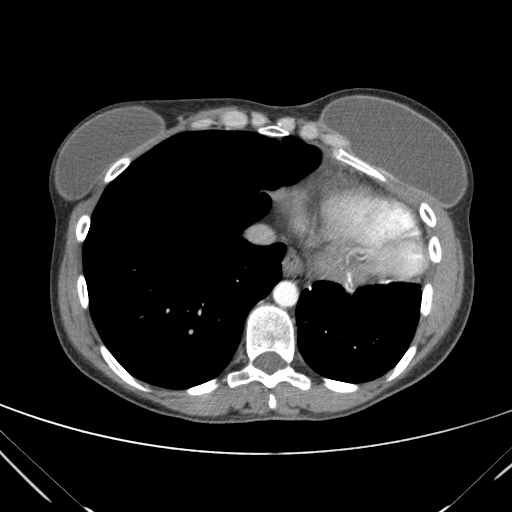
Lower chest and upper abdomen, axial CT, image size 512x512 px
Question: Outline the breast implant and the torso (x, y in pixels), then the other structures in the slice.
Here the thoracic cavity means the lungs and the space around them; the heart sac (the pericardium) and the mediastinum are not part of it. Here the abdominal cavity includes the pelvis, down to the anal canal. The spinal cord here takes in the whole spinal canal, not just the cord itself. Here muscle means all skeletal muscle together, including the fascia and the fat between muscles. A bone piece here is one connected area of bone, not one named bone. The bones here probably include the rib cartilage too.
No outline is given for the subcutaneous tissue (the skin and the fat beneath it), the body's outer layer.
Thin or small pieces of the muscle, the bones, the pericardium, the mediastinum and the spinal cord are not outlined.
Answer: Outlined structures:
breast implant 1: [[444,205],[453,205],[461,196],[464,187],[464,167],[462,161],[457,149],[444,133],[409,109],[395,102],[372,96],[341,97],[334,100],[325,107],[321,115],[322,124],[326,128],[347,141],[349,143],[349,148],[356,155],[386,172],[402,184],[425,193]]
breast implant 2: [[69,199],[78,198],[89,188],[92,183],[99,176],[120,157],[135,149],[159,133],[161,131],[161,127],[163,121],[157,115],[144,109],[142,107],[136,107],[135,108],[115,109],[87,122],[71,137],[65,145],[61,152],[56,166],[55,182],[60,193]]
torso: [[206,424],[346,417],[419,381],[451,352],[464,330],[474,295],[469,221],[474,176],[460,138],[428,106],[393,90],[363,86],[293,105],[237,97],[122,100],[86,115],[63,138],[48,172],[55,219],[49,303],[58,341],[79,371],[122,399],[154,413]]
mediastinum 1: [[295,325],[295,307],[301,291],[307,287],[307,279],[305,277],[306,260],[274,231],[260,223],[255,223],[246,228],[242,236],[256,244],[270,244],[280,241],[286,245],[287,250],[281,261],[281,279],[253,307],[261,303],[272,303],[284,309],[290,315]]
mediastinum 2: [[368,179],[373,179],[370,178],[365,174],[336,160],[331,155],[331,149],[332,148],[330,146],[320,142],[307,141],[302,139],[307,143],[314,144],[318,146],[323,152],[323,157],[322,159],[335,163],[338,165],[341,165],[349,169],[357,171]]
spinal cord: [[269,374],[274,372],[276,370],[280,368],[282,368],[284,366],[284,362],[283,360],[278,354],[274,352],[265,352],[259,355],[255,359],[254,361],[254,364],[255,366],[256,366],[258,368],[261,369],[263,371]]
abdominal cavity: [[309,288],[313,280],[324,279],[342,283],[345,275],[337,250],[327,242],[322,242],[314,233],[318,203],[344,187],[372,185],[359,173],[323,160],[306,178],[274,191],[261,191],[271,198],[273,206],[265,218],[257,222],[274,230],[307,260],[306,277]]
bones 1: [[303,390],[310,387],[311,379],[306,374],[295,370],[290,364],[294,359],[296,351],[293,321],[284,310],[272,304],[266,303],[256,306],[248,314],[245,323],[245,353],[239,354],[232,361],[222,380],[230,387],[257,380],[270,389],[280,381],[287,381]]; inner edges: [[269,374],[274,372],[276,370],[280,368],[282,368],[284,366],[284,362],[283,360],[278,354],[274,352],[265,352],[259,355],[255,359],[254,361],[254,364],[255,366],[256,366],[258,368],[261,369],[263,371]], then [[231,368],[235,368],[236,367],[240,367],[245,362],[245,361],[244,361],[243,360],[242,360],[238,364],[236,364],[235,365],[233,365],[231,367]]
bones 2: [[269,136],[286,136],[291,134],[296,128],[295,120],[283,117],[272,123],[267,117],[256,112],[249,114],[239,110],[230,110],[221,114],[216,120],[204,118],[194,121],[190,125],[191,130],[207,129],[217,123],[226,129],[245,129],[250,125],[257,132]]
bones 3: [[381,182],[386,182],[387,176],[390,176],[361,160],[357,156],[349,153],[344,148],[348,143],[337,135],[320,133],[313,124],[305,124],[298,129],[298,134],[300,137],[307,140],[319,138],[324,143],[330,145],[333,148],[332,155],[336,159]]
bones 4: [[143,391],[150,391],[150,389],[142,385],[137,379],[136,379],[132,375],[131,375],[116,360],[116,359],[108,350],[105,345],[102,342],[101,342],[99,345],[99,349],[100,350],[100,352],[103,358],[106,361],[106,362],[111,368],[111,369],[125,382]]
bones 5: [[386,381],[389,381],[396,377],[406,367],[406,366],[409,363],[410,360],[413,357],[416,351],[417,345],[415,343],[413,343],[409,346],[409,347],[399,360],[399,361],[394,366],[394,367],[391,370],[390,370],[390,371],[387,374],[387,376],[386,377]]
bones 6: [[105,184],[107,184],[108,183],[109,183],[113,179],[114,179],[126,167],[127,167],[127,166],[133,160],[133,157],[132,157],[130,155],[125,155],[123,157],[120,158],[115,163],[114,163],[108,169],[108,170],[104,177],[104,179],[103,180],[103,182]]
bones 7: [[338,392],[353,392],[354,391],[356,391],[358,390],[359,388],[359,385],[358,384],[356,384],[355,383],[349,383],[348,382],[343,382],[342,381],[333,380],[325,377],[321,377],[321,380],[323,382],[322,383],[324,386],[331,390],[334,390]]
bones 8: [[420,317],[422,317],[423,316],[426,316],[428,314],[428,313],[430,310],[430,308],[431,307],[431,301],[432,300],[432,295],[433,294],[433,289],[432,288],[432,285],[430,282],[426,282],[422,286],[422,296],[421,297],[421,305],[420,306]]
bones 9: [[189,395],[198,395],[199,394],[203,394],[204,393],[207,393],[208,392],[212,391],[219,385],[219,381],[218,379],[217,378],[214,378],[204,383],[202,383],[199,385],[192,386],[191,387],[189,387],[188,388],[184,389],[184,392],[185,392]]
bones 10: [[430,228],[434,228],[435,227],[435,225],[436,224],[436,218],[435,217],[434,212],[431,208],[431,207],[425,201],[421,201],[420,202],[420,204],[419,205],[419,207],[418,208],[418,212],[420,215],[420,217],[421,218],[422,221],[428,227],[429,227]]
bones 11: [[81,243],[82,243],[85,239],[86,235],[87,234],[87,232],[88,231],[88,229],[89,228],[89,224],[90,223],[90,214],[89,213],[84,213],[82,214],[79,217],[77,221],[77,223],[76,224],[76,227],[75,228],[76,238],[77,239],[77,241]]
bones 12: [[434,263],[437,263],[440,261],[440,259],[441,258],[441,248],[440,247],[440,244],[439,243],[439,241],[438,240],[438,238],[437,236],[435,234],[432,234],[430,236],[428,240],[428,255],[429,256],[428,257],[429,259],[432,262]]
bones 13: [[84,309],[87,309],[88,308],[88,295],[87,294],[87,288],[86,287],[86,283],[85,282],[84,275],[83,274],[83,273],[80,273],[77,277],[77,292],[78,293],[78,296],[79,297],[79,300],[80,301],[80,303],[81,304],[82,307]]
pericardium: [[351,289],[359,285],[386,284],[393,281],[418,282],[421,281],[427,265],[427,240],[418,213],[399,194],[382,188],[373,180],[368,180],[373,184],[372,186],[344,188],[319,203],[317,235],[322,241],[327,241],[337,249],[342,256],[346,270],[344,281]]
thoracic cavity 1: [[171,389],[217,377],[243,349],[246,316],[280,279],[286,247],[280,242],[256,245],[241,233],[272,206],[260,191],[306,177],[321,160],[318,147],[291,135],[279,142],[251,130],[184,131],[141,155],[107,185],[83,243],[90,312],[103,342],[131,374]]
thoracic cavity 2: [[356,383],[368,381],[383,375],[393,367],[410,344],[419,317],[421,286],[417,283],[393,282],[386,285],[365,285],[358,287],[353,293],[348,293],[340,284],[321,280],[313,281],[309,289],[306,288],[302,291],[296,307],[298,353],[306,364],[320,375]]
muscle 1: [[201,416],[230,412],[262,414],[270,410],[286,415],[302,410],[335,412],[369,400],[406,376],[438,344],[461,303],[463,253],[455,235],[451,212],[393,178],[388,176],[386,183],[374,179],[382,187],[399,193],[416,211],[421,200],[432,207],[437,224],[434,229],[424,224],[426,238],[435,233],[442,248],[441,261],[434,264],[428,260],[422,280],[422,285],[426,281],[432,283],[434,294],[431,310],[426,317],[419,318],[411,342],[418,345],[417,351],[393,380],[385,381],[387,372],[360,383],[356,392],[331,391],[322,385],[321,376],[310,369],[296,352],[292,366],[312,379],[311,387],[305,391],[287,382],[280,382],[271,390],[257,381],[230,388],[221,380],[226,369],[218,377],[220,385],[207,394],[189,396],[183,390],[161,388],[140,380],[151,389],[143,392],[125,383],[102,358],[98,349],[102,341],[89,309],[81,307],[76,292],[76,277],[83,270],[82,244],[76,241],[74,228],[82,213],[91,215],[106,186],[102,182],[106,171],[70,214],[57,283],[64,330],[87,361],[127,391],[173,410]]; inner edge: [[272,409],[273,409],[276,406],[276,401],[275,400],[275,397],[274,396],[274,395],[273,394],[273,393],[272,392],[270,392],[269,393],[269,400],[268,401],[268,404],[269,405],[269,407],[270,408],[271,408]]
muscle 2: [[134,159],[167,137],[180,131],[190,130],[190,123],[200,118],[212,117],[216,119],[221,113],[230,109],[239,109],[249,113],[256,111],[267,116],[255,110],[233,105],[202,110],[181,119],[177,124],[167,129],[163,129],[159,134],[127,154],[133,156]]
muscle 3: [[296,135],[298,135],[297,134],[297,129],[302,124],[305,123],[313,123],[315,124],[320,132],[334,133],[326,129],[316,120],[308,120],[303,118],[295,118],[294,117],[290,116],[283,116],[288,116],[293,117],[294,118],[296,120],[297,128],[292,133],[292,134],[295,134]]